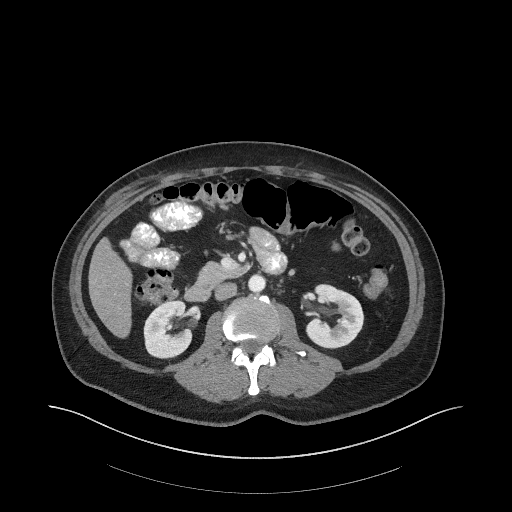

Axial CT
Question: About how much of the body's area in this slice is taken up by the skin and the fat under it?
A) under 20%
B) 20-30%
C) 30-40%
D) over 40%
Answer: B) 20-30%
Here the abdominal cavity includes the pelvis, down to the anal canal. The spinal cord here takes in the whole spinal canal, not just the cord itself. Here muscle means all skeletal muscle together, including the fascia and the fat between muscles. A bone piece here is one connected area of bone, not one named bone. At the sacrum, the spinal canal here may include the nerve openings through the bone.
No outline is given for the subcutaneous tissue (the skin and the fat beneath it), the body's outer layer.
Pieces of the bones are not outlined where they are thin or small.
{"spinal_cord":[[[250,355],[251,355],[254,353],[256,353],[260,350],[260,349],[263,344],[263,343],[260,340],[257,340],[256,339],[247,339],[246,340],[243,340],[239,343],[239,344],[242,348],[243,351],[245,353],[246,353],[247,354],[249,354]]],"abdominal_cavity":[[[161,368],[200,345],[211,313],[224,311],[242,296],[262,293],[292,310],[304,342],[345,366],[371,359],[393,341],[407,309],[407,277],[393,235],[369,210],[333,188],[253,170],[188,179],[147,195],[114,219],[92,245],[82,294],[88,313],[115,351]]],"torso":[[[213,427],[237,424],[258,414],[298,425],[334,421],[386,405],[420,386],[431,374],[439,354],[445,305],[438,256],[410,209],[352,163],[314,149],[270,141],[223,141],[183,148],[114,180],[65,236],[52,272],[51,309],[68,370],[85,385],[138,409]]],"bones":[{"outer":[[250,395],[256,395],[259,392],[258,368],[262,364],[273,366],[276,362],[274,351],[268,341],[280,329],[280,318],[273,303],[265,294],[242,297],[233,301],[225,310],[222,322],[225,337],[235,343],[231,361],[237,366],[243,365],[249,373],[248,393]],"hole":[[250,355],[251,355],[254,353],[256,353],[260,350],[260,349],[263,344],[263,343],[260,340],[257,340],[256,339],[247,339],[246,340],[243,340],[239,343],[239,344],[242,348],[243,351],[245,353],[246,353],[247,354],[249,354]]}],"muscle":[{"outer":[[217,404],[249,395],[246,369],[230,361],[234,343],[223,335],[223,311],[208,318],[204,339],[195,351],[161,369],[127,359],[105,341],[81,294],[83,264],[101,231],[133,203],[164,185],[238,169],[319,182],[349,195],[375,214],[394,235],[406,267],[409,303],[402,325],[379,355],[345,367],[337,358],[304,343],[291,310],[273,302],[281,318],[281,329],[269,341],[277,362],[259,368],[258,385],[265,394],[298,399],[321,391],[338,376],[363,373],[388,362],[408,345],[417,329],[425,295],[423,267],[406,226],[385,202],[358,186],[298,167],[213,166],[178,171],[151,182],[121,197],[94,219],[78,243],[69,277],[71,308],[82,333],[97,351],[127,368],[168,376]],"hole":[[301,356],[302,356],[303,356],[304,356],[305,355],[306,354],[306,353],[305,352],[305,351],[304,350],[303,350],[302,350],[301,350],[300,350],[299,350],[298,350],[297,351],[296,351],[295,352],[296,353],[297,353],[298,354],[299,354],[300,355]]}]}